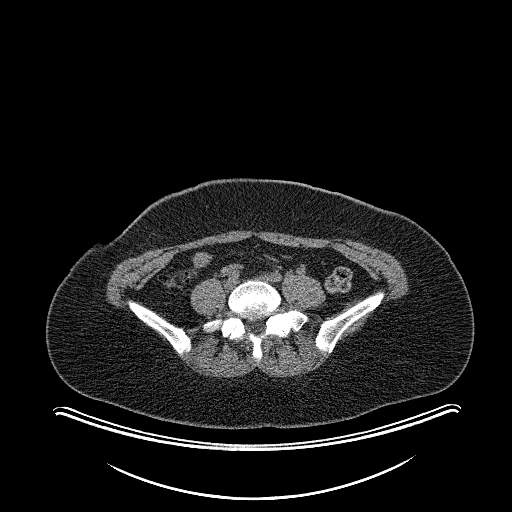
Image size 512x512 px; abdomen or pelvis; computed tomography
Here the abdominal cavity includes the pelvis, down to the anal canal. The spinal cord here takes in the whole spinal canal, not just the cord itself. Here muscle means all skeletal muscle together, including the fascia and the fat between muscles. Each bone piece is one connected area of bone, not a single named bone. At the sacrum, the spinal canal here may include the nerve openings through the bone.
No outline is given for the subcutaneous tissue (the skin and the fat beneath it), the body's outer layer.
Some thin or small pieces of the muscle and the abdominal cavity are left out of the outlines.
Outlines (x, y in pixels):
muscle 1: (237, 229) (360, 241) (390, 253) (400, 262) (408, 291) (379, 307) (323, 365) (306, 374) (272, 377) (254, 369) (232, 378) (199, 375) (179, 357) (192, 349) (192, 340) (178, 326) (191, 327) (202, 321) (201, 329) (206, 333) (219, 331) (224, 338) (250, 342) (251, 355) (259, 363) (265, 340) (270, 336) (285, 338) (309, 320) (298, 309) (280, 308) (286, 301) (282, 282) (288, 274) (309, 276) (319, 282) (325, 298) (317, 307) (306, 310) (323, 318) (361, 299) (319, 324) (314, 344) (324, 354) (330, 354) (343, 333) (377, 308) (386, 294) (382, 289) (375, 291) (378, 284) (363, 267) (332, 247) (283, 245) (252, 235) (177, 252) (134, 295) (141, 303) (126, 300) (135, 317) (106, 299) (106, 284) (118, 263) (147, 250)
muscle 2: (210, 278) (215, 278) (218, 280) (225, 291) (226, 294) (226, 305) (228, 307) (230, 314) (224, 318) (219, 317) (218, 318) (213, 318) (208, 320) (205, 315) (198, 313) (192, 307) (190, 301) (191, 299) (190, 296) (192, 290) (196, 285) (199, 284) (204, 280)
muscle 3: (153, 330) (154, 330) (155, 331) (156, 331) (157, 332) (158, 332) (160, 334) (161, 334) (167, 340) (167, 341) (170, 344) (170, 345) (169, 344) (168, 344) (167, 343) (166, 343)
torso: (230, 177) (290, 180) (337, 191) (401, 213) (435, 237) (460, 272) (474, 315) (471, 355) (456, 381) (438, 393) (386, 405) (348, 420) (308, 427) (247, 429) (159, 420) (89, 398) (66, 385) (47, 353) (45, 321) (52, 296) (70, 267) (93, 244) (117, 236) (162, 196)
bones 1: (248, 279) (264, 281) (274, 287) (281, 297) (280, 309) (298, 310) (308, 317) (297, 331) (291, 330) (285, 337) (270, 335) (265, 339) (259, 362) (252, 355) (250, 341) (224, 337) (219, 330) (210, 333) (202, 329) (205, 322) (224, 319) (231, 314) (228, 297) (235, 287); inner edge: (254, 319) (259, 319) (260, 320) (263, 320) (263, 322) (264, 323) (264, 329) (261, 332) (260, 332) (259, 333) (254, 333) (252, 331) (251, 331) (250, 330) (249, 330) (246, 327) (246, 322) (247, 321) (252, 321)
bones 2: (378, 290) (382, 290) (385, 294) (380, 304) (372, 311) (368, 312) (350, 325) (342, 333) (340, 338) (336, 342) (333, 350) (330, 353) (321, 352) (315, 344) (315, 338) (318, 332) (320, 324) (323, 321) (335, 317) (340, 313) (344, 312) (350, 307)
bones 3: (128, 299) (132, 299) (138, 302) (140, 304) (154, 311) (170, 323) (178, 327) (182, 328) (191, 340) (191, 349) (188, 352) (184, 353) (181, 357) (179, 356) (172, 347) (171, 344) (168, 340) (161, 333) (148, 326) (136, 316) (127, 304) (127, 300)
abdominal cavity: (252, 236) (283, 246) (332, 248) (363, 268) (377, 288) (323, 317) (307, 310) (326, 298) (309, 275) (284, 276) (281, 305) (278, 290) (257, 278) (235, 286) (227, 305) (221, 282) (210, 277) (189, 296) (191, 307) (207, 320) (177, 325) (142, 304) (138, 291) (177, 253)
spinal cord: (254, 319) (259, 319) (260, 320) (263, 320) (263, 322) (264, 323) (264, 329) (261, 332) (260, 332) (259, 333) (254, 333) (252, 331) (251, 331) (250, 330) (249, 330) (246, 327) (246, 322) (247, 321) (252, 321)